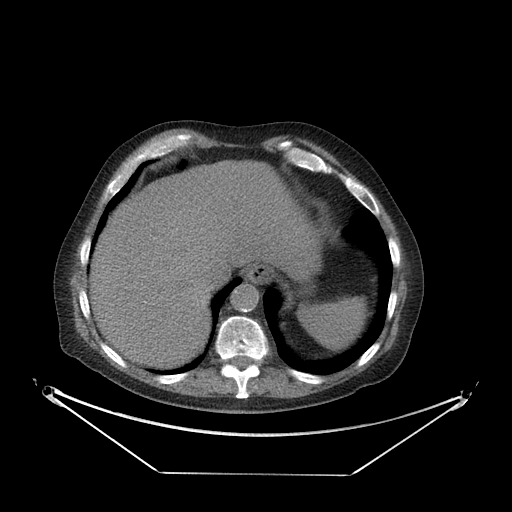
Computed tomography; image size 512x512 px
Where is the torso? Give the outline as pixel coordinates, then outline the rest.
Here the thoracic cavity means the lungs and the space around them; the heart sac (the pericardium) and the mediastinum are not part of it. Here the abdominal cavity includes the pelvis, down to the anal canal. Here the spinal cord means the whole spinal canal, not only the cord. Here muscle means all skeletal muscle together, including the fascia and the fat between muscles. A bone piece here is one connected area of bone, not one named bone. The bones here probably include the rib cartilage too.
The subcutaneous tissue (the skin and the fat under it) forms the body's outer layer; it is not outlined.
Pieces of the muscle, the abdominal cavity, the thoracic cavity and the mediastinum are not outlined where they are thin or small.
{"torso":[[[179,119],[228,125],[303,121],[333,133],[371,163],[415,236],[424,273],[423,301],[407,353],[389,377],[348,396],[314,406],[262,414],[228,414],[183,408],[141,397],[92,371],[61,350],[53,298],[54,266],[61,243],[89,187],[117,146],[154,124]]],"thoracic_cavity":[[[363,207],[377,219],[392,265],[382,329],[355,361],[338,371],[321,375],[292,368],[276,353],[265,317],[264,293],[268,289],[277,292],[277,328],[283,342],[298,358],[327,360],[355,346],[374,319],[380,287],[376,258],[344,234],[353,214]],[[238,277],[241,278],[241,281],[229,292],[219,309],[213,342],[208,347],[209,350],[200,363],[192,369],[179,373],[157,374],[149,371],[148,369],[163,371],[181,368],[206,352],[206,348],[210,342],[213,329],[211,306],[212,299],[232,280]],[[145,161],[151,161],[151,162],[148,163],[142,168],[139,175],[135,180],[133,185],[131,186],[129,191],[108,212],[105,223],[99,232],[96,238],[94,247],[91,253],[90,253],[93,236],[95,233],[99,219],[107,203],[127,182],[138,166]]],"muscle":[[[174,128],[189,128],[208,137],[230,143],[252,144],[286,134],[304,138],[321,146],[332,154],[371,190],[380,201],[398,232],[405,256],[408,276],[408,290],[400,313],[398,333],[395,342],[389,350],[363,371],[329,388],[291,398],[274,398],[261,395],[249,397],[247,383],[250,378],[257,377],[260,374],[260,363],[270,353],[271,348],[287,366],[286,371],[290,376],[301,382],[313,385],[323,383],[325,381],[324,375],[338,372],[356,361],[355,365],[360,367],[372,358],[381,346],[381,342],[377,339],[383,329],[385,320],[389,321],[392,318],[396,307],[398,294],[394,289],[391,289],[391,286],[393,267],[398,268],[400,265],[400,249],[392,236],[386,237],[377,218],[380,215],[379,206],[368,188],[351,176],[337,171],[318,154],[294,145],[291,139],[285,139],[276,144],[276,149],[282,151],[283,154],[277,151],[267,150],[260,146],[228,147],[222,145],[201,147],[197,145],[188,145],[193,137],[190,133],[171,134],[154,140],[146,145],[130,158],[121,170],[108,182],[121,162],[139,145],[162,131]],[[107,183],[102,197],[102,202],[106,204],[92,238],[86,236],[79,250],[80,264],[86,266],[86,289],[79,289],[78,303],[83,316],[87,320],[91,317],[103,341],[99,346],[121,367],[126,368],[126,362],[133,364],[156,374],[153,379],[165,385],[182,381],[190,370],[201,363],[213,346],[223,362],[219,373],[235,381],[237,391],[234,397],[196,397],[142,382],[112,366],[86,345],[76,332],[69,284],[74,255]]],"abdominal_cavity":[[[186,146],[260,147],[280,153],[331,205],[345,237],[378,264],[376,311],[355,345],[327,359],[298,357],[278,328],[278,292],[239,276],[211,299],[212,329],[205,352],[181,367],[145,369],[102,339],[86,291],[90,254],[109,212],[152,162],[147,160]]],"mediastinum":[[[294,166],[315,173],[319,172],[324,174],[333,174],[335,175],[341,181],[347,191],[362,206],[362,208],[355,211],[352,214],[350,217],[349,222],[343,228],[337,218],[334,211],[334,208],[332,205],[308,186],[298,176],[297,172],[294,170]],[[242,278],[248,278],[250,280],[253,280],[254,282],[261,284],[266,288],[262,296],[263,312],[266,325],[270,333],[275,350],[271,347],[269,339],[259,322],[246,315],[231,314],[227,316],[220,322],[220,323],[216,330],[216,333],[216,328],[220,309],[227,296],[242,281]]],"bones":[{"outer":[[231,315],[242,315],[257,321],[262,327],[270,346],[269,353],[259,363],[259,374],[250,377],[246,383],[246,390],[249,395],[246,398],[235,397],[238,391],[236,381],[232,377],[225,377],[220,373],[220,369],[224,362],[214,348],[214,341],[221,322]],"hole":[[236,356],[246,356],[247,357],[249,357],[252,360],[252,362],[250,364],[249,364],[245,368],[244,368],[243,369],[240,369],[239,368],[238,368],[235,365],[234,365],[233,364],[232,364],[230,362],[230,360],[232,358],[233,358],[234,357],[235,357]]},[[285,140],[291,140],[294,146],[318,155],[337,172],[351,177],[367,188],[372,194],[378,206],[378,217],[376,217],[367,208],[363,206],[348,191],[335,173],[311,171],[296,166],[288,161],[284,156],[284,152],[282,150],[277,149],[276,147],[278,143]],[[187,133],[192,136],[189,141],[189,143],[187,145],[170,151],[163,155],[150,158],[141,162],[137,166],[120,189],[106,203],[103,202],[104,193],[108,183],[122,170],[125,164],[130,159],[139,153],[146,146],[154,141],[165,138],[171,135],[186,134]],[[287,367],[289,367],[292,369],[294,369],[297,371],[303,372],[304,373],[308,373],[309,374],[313,374],[314,375],[320,375],[324,378],[324,381],[318,384],[313,384],[312,383],[308,383],[307,382],[301,381],[290,375],[287,371]],[[188,371],[189,373],[182,380],[180,380],[176,382],[173,382],[169,384],[160,383],[158,381],[154,379],[154,377],[158,374],[163,374],[164,375],[171,375],[172,374],[179,374],[180,373],[183,373],[184,372],[187,372]],[[389,237],[392,237],[394,239],[399,249],[399,258],[400,259],[399,260],[399,265],[398,267],[394,267],[391,261],[391,256],[390,255],[390,251],[389,250],[389,246],[388,245],[388,241],[387,240],[387,239]],[[376,341],[378,341],[379,342],[380,342],[380,346],[379,347],[379,348],[377,350],[377,351],[372,356],[372,357],[371,357],[364,364],[363,364],[360,366],[357,366],[356,365],[356,364],[357,363],[357,360],[361,356],[361,355],[374,342],[375,342]],[[88,236],[89,236],[91,238],[91,244],[90,245],[90,250],[89,251],[89,257],[88,258],[88,261],[87,262],[87,264],[85,266],[83,266],[81,264],[81,261],[80,260],[80,250],[81,249],[81,245],[82,244],[83,241],[85,239],[85,238]],[[101,342],[104,342],[108,346],[109,346],[113,350],[114,350],[125,361],[125,362],[126,363],[127,366],[126,367],[123,367],[122,366],[121,366],[119,364],[118,364],[111,358],[110,358],[107,355],[107,354],[102,349],[102,348],[100,346],[100,343]],[[80,289],[84,289],[87,295],[87,299],[88,300],[88,303],[89,304],[89,310],[90,311],[90,317],[89,319],[87,319],[84,316],[81,310],[81,308],[80,307],[80,304],[79,303],[79,299],[78,298],[78,296],[79,295],[79,291]],[[391,290],[394,290],[396,292],[397,294],[397,298],[396,299],[396,303],[395,304],[395,307],[394,308],[394,310],[393,311],[392,316],[391,318],[389,320],[388,320],[386,318],[386,316],[387,315],[387,305],[388,304],[389,295],[390,294],[390,292]]],"spinal_cord":[[[236,356],[246,356],[247,357],[249,357],[252,360],[252,362],[250,364],[249,364],[245,368],[244,368],[243,369],[240,369],[239,368],[238,368],[235,365],[234,365],[233,364],[232,364],[230,362],[230,360],[232,358],[233,358],[234,357],[235,357]]]}